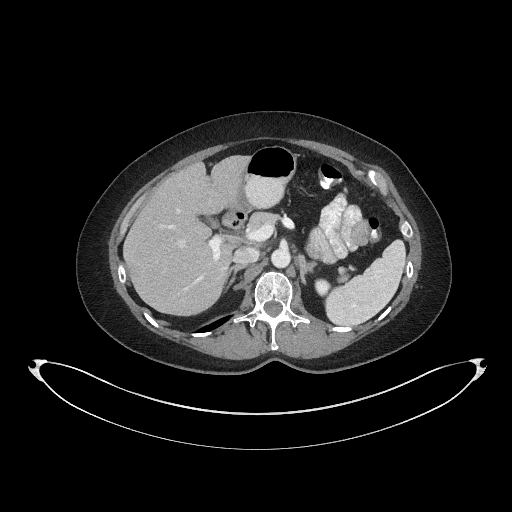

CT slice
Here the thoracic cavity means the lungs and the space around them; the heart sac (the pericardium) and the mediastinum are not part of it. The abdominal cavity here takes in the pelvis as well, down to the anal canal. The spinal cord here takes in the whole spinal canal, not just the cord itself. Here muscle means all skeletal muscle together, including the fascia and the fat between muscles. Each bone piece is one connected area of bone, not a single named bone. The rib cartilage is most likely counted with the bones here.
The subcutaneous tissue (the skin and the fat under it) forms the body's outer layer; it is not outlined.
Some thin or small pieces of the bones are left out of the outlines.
abdominal cavity: (184, 331) (231, 317) (267, 270) (283, 272) (293, 287) (298, 283) (306, 309) (332, 325) (354, 326) (373, 319) (391, 302) (405, 275) (408, 243) (398, 227) (405, 219) (401, 211) (351, 162) (283, 141) (243, 143) (185, 165) (143, 198) (119, 248) (132, 297) (163, 325)
spinal cord: (271, 316) (275, 316) (276, 315) (277, 315) (280, 312) (280, 311) (282, 308) (281, 307) (281, 305) (279, 303) (278, 303) (277, 302) (275, 302) (274, 301) (271, 301) (270, 302) (268, 302) (267, 303) (266, 303) (264, 305) (264, 309) (266, 311) (266, 312)
thoracic cavity: (196, 331) (206, 331) (207, 330) (211, 330) (217, 327) (219, 325) (222, 324) (224, 322) (225, 322) (228, 319) (230, 318) (230, 316) (226, 316) (223, 318) (221, 318) (218, 320) (216, 320) (214, 322) (212, 322) (210, 324) (206, 326) (204, 326) (200, 328) (197, 331)
bones 1: (272, 350) (278, 348) (275, 329) (281, 321) (289, 321) (293, 327) (299, 322) (309, 323) (308, 318) (296, 314) (290, 308) (292, 284) (278, 271) (264, 272) (256, 280) (254, 307) (246, 314) (232, 319) (234, 322) (245, 320) (251, 327) (257, 320) (265, 321) (271, 330) with a hole at (271, 316) (275, 316) (276, 315) (277, 315) (280, 312) (280, 311) (282, 308) (281, 307) (281, 305) (279, 303) (278, 303) (277, 302) (275, 302) (274, 301) (271, 301) (270, 302) (268, 302) (267, 303) (266, 303) (264, 305) (264, 309) (266, 311) (266, 312)
bones 2: (384, 195) (385, 195) (387, 193) (387, 185) (385, 182) (385, 180) (383, 178) (383, 177) (382, 177) (377, 172) (376, 172) (374, 170) (373, 170) (372, 169) (370, 169) (367, 172) (367, 175) (371, 180) (372, 183) (374, 185) (377, 186) (379, 188) (381, 193)
bones 3: (122, 235) (123, 235) (123, 234) (125, 232) (125, 230) (128, 224) (128, 220) (130, 218) (132, 213) (138, 207) (144, 195) (143, 195) (140, 198) (139, 198) (132, 205) (132, 206) (124, 217) (121, 223) (121, 225) (120, 226) (120, 233)
bones 4: (406, 238) (410, 238) (411, 237) (412, 237) (412, 236) (413, 235) (413, 231) (412, 230) (412, 228) (411, 227) (410, 224) (408, 222) (408, 221) (407, 221) (406, 220) (404, 220) (400, 223) (400, 224) (399, 225) (399, 227) (400, 228) (400, 230) (401, 231) (401, 232)
bones 5: (123, 284) (124, 283) (125, 283) (125, 280) (126, 279) (126, 274) (125, 273) (125, 270) (124, 269) (124, 267) (123, 266) (123, 264) (122, 264) (121, 263) (118, 266) (118, 268) (117, 269) (117, 272) (118, 273) (118, 278) (119, 279) (119, 281) (121, 283) (122, 283)
bones 6: (332, 331) (349, 331) (350, 330) (351, 330) (351, 329) (352, 328) (352, 326) (332, 326) (331, 327) (330, 327) (329, 328) (329, 330) (331, 330)
bones 7: (156, 327) (159, 327) (159, 325) (158, 324) (158, 323) (146, 311) (144, 311) (143, 312) (143, 314) (144, 315) (144, 316) (146, 318) (146, 319) (151, 324) (152, 324) (154, 326) (155, 326)
bones 8: (376, 321) (378, 321) (379, 320) (380, 320) (381, 319) (382, 319) (389, 312) (389, 311) (391, 309) (391, 306) (390, 305) (389, 305) (377, 317) (377, 318) (376, 319)
torso: (214, 375) (243, 374) (271, 361) (308, 373) (335, 372) (391, 354) (433, 324) (452, 281) (446, 232) (434, 204) (392, 149) (351, 127) (311, 113) (238, 112) (164, 139) (126, 165) (105, 188) (82, 226) (76, 247) (76, 282) (86, 310) (100, 328) (129, 350) (178, 369)
muscle: (234, 360) (271, 351) (270, 330) (265, 322) (257, 321) (251, 328) (245, 321) (234, 323) (231, 319) (253, 307) (252, 291) (245, 294) (241, 309) (212, 330) (209, 336) (192, 337) (190, 332) (168, 328) (159, 322) (159, 328) (151, 325) (142, 314) (145, 309) (131, 297) (126, 284) (121, 284) (117, 278) (116, 269) (121, 262) (118, 248) (123, 236) (119, 233) (119, 226) (131, 205) (143, 194) (147, 195) (162, 178) (185, 164) (235, 144) (259, 139) (283, 140) (333, 154) (351, 161) (364, 172) (372, 168) (383, 176) (388, 193) (414, 231) (413, 237) (408, 239) (408, 259) (414, 266) (414, 274) (410, 279) (404, 277) (390, 304) (392, 309) (382, 320) (376, 322) (375, 318) (349, 332) (329, 331) (330, 324) (310, 314) (303, 306) (300, 288) (296, 284) (291, 308) (308, 317) (310, 323) (299, 323) (293, 328) (289, 322) (281, 322) (276, 329) (279, 348) (274, 351) (310, 359) (342, 349) (387, 323) (406, 305) (416, 286) (422, 258) (420, 233) (382, 167) (313, 140) (257, 136) (194, 152) (153, 177) (131, 197) (108, 240) (109, 267) (116, 291) (137, 320) (156, 334) (200, 352)